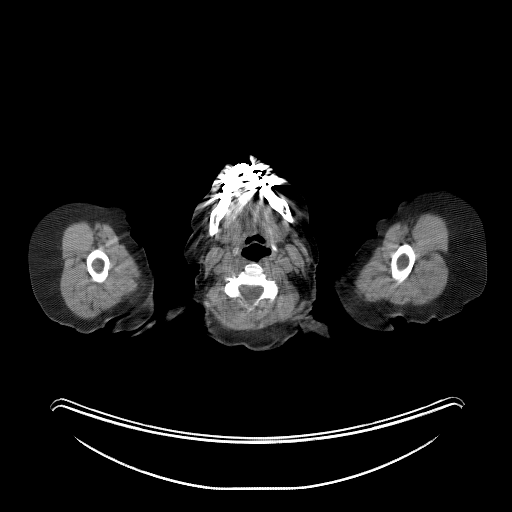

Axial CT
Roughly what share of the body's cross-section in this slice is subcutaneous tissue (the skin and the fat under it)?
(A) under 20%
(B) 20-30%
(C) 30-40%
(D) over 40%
(D) over 40%
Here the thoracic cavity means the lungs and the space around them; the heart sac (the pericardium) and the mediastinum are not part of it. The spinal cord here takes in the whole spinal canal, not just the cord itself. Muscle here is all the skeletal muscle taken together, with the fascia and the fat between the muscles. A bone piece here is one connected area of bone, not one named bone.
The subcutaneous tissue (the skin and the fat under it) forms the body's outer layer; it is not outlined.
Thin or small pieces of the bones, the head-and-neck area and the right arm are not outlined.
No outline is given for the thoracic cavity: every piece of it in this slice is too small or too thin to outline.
The torso appears in 2 outlined pieces: piece 1: 203,311 219,327 241,336 270,335 278,333 293,326 311,311 317,320 327,324 332,336 330,338 324,338 315,334 306,336 299,332 294,337 277,347 259,351 251,350 243,345 227,346 204,333 206,328 203,324; piece 2: 154,290 155,308 153,316 155,318 161,316 169,307 178,304 189,305 192,309 191,311 186,311 169,322 158,322 147,331 136,336 130,336 131,333 129,331 119,331 114,333 110,331 116,321 139,309 149,299. The bones appear in 4 outlined pieces: piece 1: 238,163 249,164 271,184 277,195 284,197 294,219 292,223 284,219 263,197 262,198 263,193 252,180 243,179 234,191 227,213 219,222 218,231 212,236 209,235 210,212 220,197 222,183 226,179 232,166; piece 2: 251,261 257,262 263,268 263,271 266,274 276,280 278,292 273,300 265,298 252,310 249,311 242,305 238,298 229,297 224,292 223,287 226,283 226,277 229,276 232,272 235,274 239,273 243,270 244,266 with a hole at 242,285 246,285 247,286 260,286 262,288 262,290 261,291 261,292 260,293 260,294 252,302 251,302 250,303 249,302 248,302 244,298 244,297 242,295 242,294 241,293 241,292 240,291 240,287; piece 3: 404,243 407,243 412,247 416,254 416,257 415,258 414,263 412,266 411,271 409,273 407,277 400,284 396,285 395,281 391,276 391,272 390,271 390,264 391,263 391,254 393,252 394,252 400,245; piece 4: 99,247 101,247 102,248 103,251 107,255 110,262 110,268 108,270 107,276 105,280 101,283 99,283 92,280 91,276 89,274 87,270 87,265 86,264 86,258 88,254 93,249 95,249. The muscle appears in 3 outlined pieces: piece 1: 252,160 301,209 301,233 311,261 301,311 262,329 233,330 223,327 210,311 204,266 193,248 212,191 217,184 221,190 208,216 210,237 219,231 243,180 252,181 261,198 284,220 295,221 285,197 250,164; inner edge: 255,235 263,238 263,245 269,251 269,254 256,261 266,274 276,280 278,292 273,300 265,298 249,311 238,298 229,297 224,292 223,287 226,283 226,277 232,272 239,273 251,261 241,252 246,246 246,238; piece 2: 427,211 444,216 449,228 449,249 445,258 448,266 448,281 443,292 431,302 421,306 410,304 393,305 387,302 367,303 358,298 353,290 354,280 373,250 382,243 384,233 388,227 396,221 415,219, around a hole outlined by 404,243 407,243 412,247 416,254 416,257 415,258 414,263 412,266 411,271 409,273 407,277 400,284 396,285 395,281 391,276 391,272 390,271 390,264 391,263 391,254 393,252 394,252 400,245; piece 3: 80,219 86,219 90,222 95,220 108,222 118,235 123,235 121,241 133,256 141,270 139,286 135,292 125,297 111,308 89,319 80,318 68,309 62,299 59,288 59,280 62,271 60,248 61,234 69,223, around a hole outlined by 99,247 101,247 102,248 103,251 107,255 110,262 110,268 108,270 107,276 105,280 101,283 99,283 92,280 91,276 89,274 87,270 87,265 86,264 86,258 88,254 93,249 95,249. The head and neck is outlined by 252,160 267,165 276,176 301,192 308,207 309,228 319,257 315,270 316,299 311,310 278,332 241,335 219,326 192,300 199,266 188,264 183,252 192,232 193,210 212,188 220,170 227,161 235,165 250,164; inner edge: 255,235 259,235 263,238 263,245 265,246 265,247 269,251 269,254 264,255 260,257 259,259 256,259 255,261 253,259 250,259 244,256 242,254 242,250 243,248 246,246 246,243 245,242 246,238 251,237. The right arm is outlined by 72,201 88,201 103,206 122,208 126,213 126,219 130,225 130,234 144,248 154,277 154,289 148,299 139,308 117,320 112,319 103,327 87,334 80,333 47,317 33,294 28,271 28,243 35,225 52,209. The left arm is outlined by 432,188 464,198 482,221 487,253 487,280 482,293 459,313 441,321 433,318 420,324 398,317 391,320 393,331 376,331 356,323 342,307 333,280 352,261 362,243 377,235 375,224 379,219 391,215 402,200. The spinal cord is outlined by 242,285 246,285 247,286 260,286 262,288 262,290 261,291 261,292 260,293 260,294 252,302 251,302 250,303 249,302 248,302 244,298 244,297 242,295 242,294 241,293 241,292 240,291 240,287.